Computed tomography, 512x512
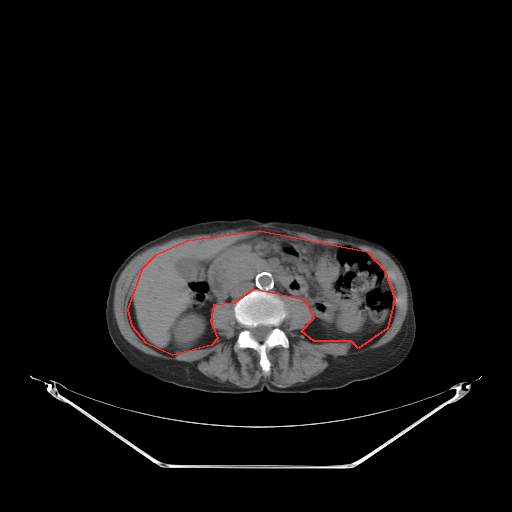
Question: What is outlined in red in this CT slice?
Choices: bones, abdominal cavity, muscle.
Answer: red: abdominal cavity.
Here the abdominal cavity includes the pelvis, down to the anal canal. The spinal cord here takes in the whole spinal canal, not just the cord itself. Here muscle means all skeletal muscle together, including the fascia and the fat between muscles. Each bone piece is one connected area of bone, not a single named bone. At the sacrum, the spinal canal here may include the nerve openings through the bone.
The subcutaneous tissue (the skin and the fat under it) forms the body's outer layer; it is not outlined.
{"abdominal_cavity":[[[259,230],[367,251],[384,270],[394,299],[387,328],[358,348],[351,341],[314,341],[301,331],[314,317],[305,300],[253,289],[234,303],[213,305],[210,321],[217,338],[211,345],[172,355],[146,343],[132,326],[128,309],[143,267],[156,254],[187,240]]],"spinal_cord":[[[259,325],[263,325],[264,326],[270,326],[271,327],[271,330],[270,331],[270,332],[267,335],[267,336],[265,338],[265,339],[264,339],[262,341],[259,341],[258,340],[257,340],[256,339],[255,339],[251,335],[251,332],[249,329],[251,327],[256,327]]],"bones":[{"outer":[[253,290],[263,290],[278,295],[283,301],[286,311],[286,316],[279,327],[286,334],[289,346],[277,345],[266,350],[270,362],[268,372],[262,370],[259,363],[260,355],[255,349],[246,347],[236,350],[234,348],[243,328],[235,317],[234,305],[240,297]],"hole":[[259,325],[263,325],[264,326],[270,326],[271,327],[271,330],[270,331],[270,332],[267,335],[267,336],[265,338],[265,339],[264,339],[262,341],[259,341],[258,340],[257,340],[256,339],[255,339],[251,335],[251,332],[249,329],[251,327],[256,327]]}],"torso":[[[243,218],[333,229],[375,241],[392,252],[404,267],[412,289],[416,331],[407,357],[376,377],[337,389],[306,393],[275,393],[266,389],[243,394],[210,393],[160,381],[130,365],[111,340],[105,321],[109,285],[121,263],[136,248],[172,229],[197,222]]],"muscle":[{"outer":[[257,225],[259,226],[266,226],[267,227],[274,227],[275,228],[293,230],[294,231],[304,232],[305,233],[308,233],[317,236],[321,236],[322,237],[326,237],[327,238],[332,238],[333,239],[349,241],[358,244],[371,246],[385,253],[390,257],[400,270],[404,279],[406,289],[407,290],[407,312],[404,321],[399,331],[395,336],[387,343],[377,348],[359,354],[346,355],[337,358],[329,365],[326,370],[315,379],[306,382],[303,384],[295,385],[290,387],[278,387],[275,386],[267,379],[266,380],[265,379],[262,380],[256,385],[247,388],[242,388],[237,386],[228,385],[205,376],[194,366],[187,362],[178,361],[177,360],[167,360],[159,357],[156,357],[147,354],[133,346],[124,338],[121,334],[117,325],[117,322],[114,314],[114,293],[115,292],[116,283],[119,276],[125,267],[134,257],[153,246],[164,243],[174,238],[182,237],[183,236],[188,236],[189,235],[195,235],[196,234],[208,234],[209,233],[214,233],[215,232],[219,232],[220,231],[224,231],[230,229],[237,229],[242,227],[256,226]],"hole":[[259,230],[367,251],[394,299],[387,328],[358,348],[314,341],[301,331],[314,317],[309,304],[282,295],[289,346],[266,350],[268,372],[255,349],[234,348],[243,327],[229,301],[210,310],[211,345],[172,355],[146,343],[128,309],[143,267],[187,240]]}]}